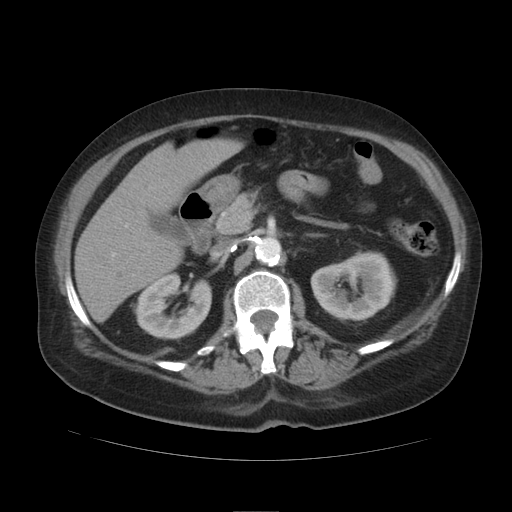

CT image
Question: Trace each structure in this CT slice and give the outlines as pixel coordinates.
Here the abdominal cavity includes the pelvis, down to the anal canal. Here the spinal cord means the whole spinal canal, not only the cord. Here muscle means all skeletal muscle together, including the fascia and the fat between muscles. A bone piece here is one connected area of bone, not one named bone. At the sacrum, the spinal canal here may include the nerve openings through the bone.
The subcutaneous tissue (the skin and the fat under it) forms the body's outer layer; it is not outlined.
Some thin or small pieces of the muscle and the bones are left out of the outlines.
Answer: The spinal cord is outlined by 260 310; 270 310; 271 311; 274 312; 277 315; 277 318; 276 319; 276 320; 273 323; 273 328; 267 334; 264 334; 263 333; 261 333; 259 331; 257 331; 255 328; 255 325; 250 320; 250 318; 251 317; 251 316; 254 313; 255 313. The torso is outlined by 220 87; 312 90; 374 102; 415 126; 460 181; 480 223; 482 271; 464 358; 437 395; 392 415; 338 427; 280 425; 260 432; 220 431; 116 409; 74 390; 47 366; 37 342; 34 251; 42 215; 60 177; 94 137; 127 113; 171 95. The bones appear in 6 outlined pieces: piece 1: 256 270; 267 270; 278 274; 288 285; 290 313; 294 322; 293 346; 289 348; 280 345; 275 348; 273 361; 276 371; 267 374; 260 370; 263 357; 257 348; 242 354; 234 333; 225 337; 222 335; 237 319; 232 298; 237 281; inner edge: 260 310; 270 310; 271 311; 274 312; 277 315; 277 318; 276 319; 276 320; 273 323; 273 328; 267 334; 264 334; 263 333; 261 333; 259 331; 257 331; 255 328; 255 325; 250 320; 250 318; 251 317; 251 316; 254 313; 255 313; piece 2: 67 271; 68 271; 71 275; 73 286; 75 289; 75 291; 77 294; 79 301; 92 324; 92 327; 91 328; 86 326; 78 318; 78 317; 73 311; 69 303; 69 300; 67 296; 67 291; 66 290; 66 287; 65 286; 65 274; piece 3: 458 251; 460 252; 460 254; 461 255; 461 257; 460 258; 460 267; 459 268; 459 273; 458 274; 456 282; 453 288; 446 296; 444 296; 444 285; 445 284; 445 281; 451 269; 452 263; 453 262; 453 258; 454 257; 454 254; piece 4: 388 338; 392 338; 394 340; 393 342; 388 346; 378 351; 376 351; 372 353; 368 353; 367 354; 364 354; 363 355; 359 354; 356 351; 356 350; 358 348; 366 344; 368 344; 372 342; 375 342; 379 340; 383 340; 384 339; 387 339; piece 5: 159 359; 163 359; 164 360; 173 360; 174 361; 182 361; 183 362; 185 362; 187 364; 187 366; 179 371; 172 371; 171 370; 168 370; 167 369; 162 368; 161 367; 158 366; 156 364; 155 364; 154 361; 155 360; 158 360; piece 6: 417 157; 418 158; 419 158; 427 166; 427 167; 429 169; 429 170; 432 175; 432 177; 434 180; 434 182; 435 183; 435 184; 434 185; 432 185; 430 183; 430 180; 429 179; 429 178; 428 177; 426 172; 424 170; 422 165; 418 160. The muscle is outlined by 245 113; 269 115; 318 123; 328 123; 344 126; 352 126; 361 129; 374 131; 378 133; 385 134; 388 136; 398 138; 409 143; 422 151; 434 162; 440 170; 445 182; 449 187; 466 226; 466 236; 467 237; 466 259; 467 262; 465 264; 465 268; 462 272; 460 279; 455 288; 456 289; 453 294; 453 297; 448 306; 439 317; 437 326; 431 337; 428 340; 411 351; 406 353; 401 353; 386 359; 374 365; 371 368; 364 370; 349 378; 346 381; 329 389; 307 390; 303 389; 297 385; 289 383; 282 378; 278 378; 272 374; 269 374; 254 384; 244 389; 239 390; 234 394; 215 394; 214 395; 208 395; 180 386; 175 383; 160 379; 149 374; 131 371; 98 358; 84 355; 73 345; 70 320; 67 312; 68 307; 65 301; 65 297; 59 291; 57 275; 55 272; 55 266; 53 261; 53 245; 58 227; 59 217; 62 210; 62 206; 73 185; 82 174; 98 159; 127 141; 146 132; 171 124; 178 123; 188 119; 196 119; 217 115; 244 114; inner edges: 239 118; 365 138; 411 166; 445 211; 453 253; 461 255; 451 291; 444 296; 443 287; 389 336; 391 344; 361 355; 364 343; 342 341; 306 317; 302 290; 290 279; 293 346; 275 348; 276 371; 267 374; 257 348; 242 354; 234 333; 222 335; 237 319; 232 287; 206 355; 186 357; 175 347; 140 353; 86 326; 69 303; 65 274; 72 274; 74 231; 96 186; 145 142, then 159 359; 163 359; 164 360; 173 360; 174 361; 182 361; 183 362; 185 362; 187 364; 187 366; 179 371; 172 371; 171 370; 168 370; 167 369; 162 368; 161 367; 158 366; 156 364; 155 364; 154 361; 155 360; 158 360, then 417 157; 418 158; 419 158; 427 166; 427 167; 429 169; 429 170; 432 175; 432 177; 434 180; 434 182; 435 183; 435 184; 434 185; 432 185; 430 183; 430 180; 429 179; 429 178; 428 177; 426 172; 424 170; 422 165; 418 160. The abdominal cavity is outlined by 239 118; 365 138; 411 166; 451 228; 452 262; 437 297; 389 337; 352 343; 306 317; 295 281; 290 287; 278 273; 256 269; 225 292; 221 323; 187 357; 175 347; 145 354; 110 340; 89 318; 72 278; 74 231; 92 192; 137 146.